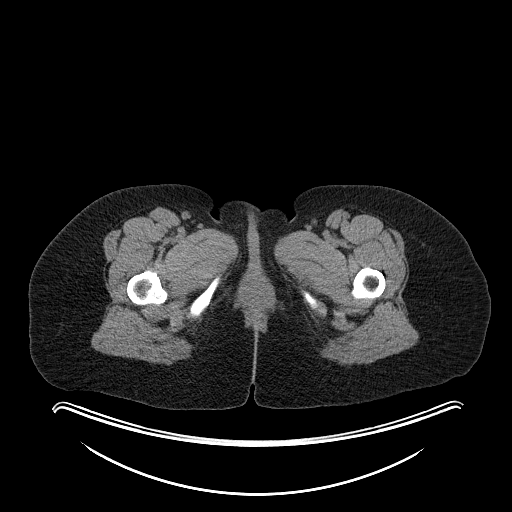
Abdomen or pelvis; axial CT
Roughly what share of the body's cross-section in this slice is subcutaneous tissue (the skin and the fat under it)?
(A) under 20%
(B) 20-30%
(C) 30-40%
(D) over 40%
(D) over 40%
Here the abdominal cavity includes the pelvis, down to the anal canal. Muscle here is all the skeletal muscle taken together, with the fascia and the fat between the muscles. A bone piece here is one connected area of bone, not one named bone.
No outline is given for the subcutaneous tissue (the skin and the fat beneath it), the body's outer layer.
Outlined structures:
muscle 1: 156 206; 173 209; 190 230; 219 229; 232 235; 241 245; 239 259; 228 279; 229 287; 206 323; 193 356; 176 365; 150 364; 108 355; 95 350; 90 344; 91 336; 100 325; 105 307; 110 301; 103 276; 103 239; 115 223; 133 211; inner edges: 147 269; 149 269; 152 271; 155 271; 157 273; 163 288; 167 292; 167 298; 166 300; 161 304; 154 304; 153 303; 150 303; 145 305; 138 305; 132 302; 132 301; 127 295; 126 287; 127 286; 127 282; 128 280; 133 275; 140 273, then 217 275; 220 275; 220 277; 221 279; 216 289; 214 291; 212 295; 212 297; 208 305; 198 316; 192 316; 190 315; 190 313; 189 312; 189 307; 192 301; 196 297; 197 297; 210 284; 212 280
muscle 2: 349 204; 364 207; 387 219; 401 234; 408 262; 408 279; 402 297; 409 320; 419 333; 419 340; 409 349; 370 363; 340 365; 320 356; 315 349; 321 341; 310 327; 295 292; 282 275; 273 249; 280 236; 297 230; 315 230; 332 209; inner edges: 365 266; 369 266; 374 269; 377 269; 381 271; 383 273; 384 277; 385 278; 385 288; 380 296; 378 297; 376 297; 375 298; 358 298; 357 299; 356 298; 354 298; 351 294; 351 290; 352 289; 352 282; 356 273; 361 268, then 302 290; 306 290; 307 291; 308 291; 311 294; 311 295; 316 299; 316 300; 317 301; 317 303; 318 304; 317 307; 316 307; 315 308; 312 308; 309 305; 309 304; 304 300; 304 298; 303 297; 303 296; 301 293; 301 291
muscle 3: 247 270; 263 270; 271 279; 272 284; 278 294; 278 301; 279 302; 277 308; 275 309; 269 320; 268 329; 263 333; 259 333; 258 332; 255 333; 246 327; 244 324; 244 316; 242 312; 234 307; 234 300; 235 299; 234 295; 241 277, around a hole outlined by 250 276; 259 276; 264 283; 268 293; 268 301; 266 305; 265 311; 261 316; 261 318; 259 320; 257 320; 256 321; 253 320; 250 317; 246 311; 243 304; 243 297; 242 296; 242 290; 243 288; 242 287; 244 282; 245 282
torso: 162 183; 197 187; 216 204; 278 207; 289 218; 296 196; 320 185; 382 185; 415 196; 462 233; 485 275; 491 314; 479 358; 438 385; 300 409; 260 406; 252 385; 243 405; 214 410; 164 409; 53 386; 29 353; 36 261; 95 199
abdominal cavity: 250 276; 259 276; 264 283; 268 293; 268 301; 266 305; 265 311; 261 316; 261 318; 259 320; 257 320; 256 321; 253 320; 250 317; 246 311; 243 304; 243 297; 242 296; 242 290; 243 288; 242 287; 244 282; 245 282
bones 1: 147 269; 149 269; 152 271; 155 271; 157 273; 163 288; 167 292; 167 298; 166 300; 161 304; 154 304; 153 303; 150 303; 145 305; 138 305; 132 302; 132 301; 127 295; 126 287; 127 286; 127 282; 128 280; 133 275; 140 273
bones 2: 365 266; 369 266; 374 269; 377 269; 381 271; 383 273; 384 277; 385 278; 385 288; 380 296; 378 297; 376 297; 375 298; 358 298; 357 299; 356 298; 354 298; 351 294; 351 290; 352 289; 352 282; 356 273; 361 268
bones 3: 217 275; 220 275; 220 277; 221 279; 216 289; 214 291; 212 295; 212 297; 208 305; 198 316; 192 316; 190 315; 190 313; 189 312; 189 307; 192 301; 196 297; 197 297; 210 284; 212 280
bones 4: 302 290; 306 290; 307 291; 308 291; 311 294; 311 295; 316 299; 316 300; 317 301; 317 303; 318 304; 317 307; 316 307; 315 308; 312 308; 309 305; 309 304; 304 300; 304 298; 303 297; 303 296; 301 293; 301 291